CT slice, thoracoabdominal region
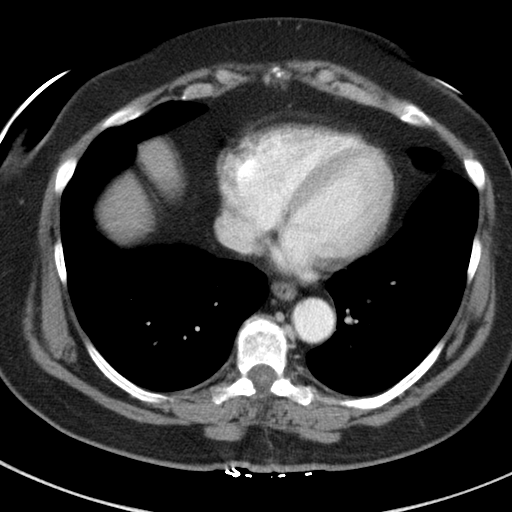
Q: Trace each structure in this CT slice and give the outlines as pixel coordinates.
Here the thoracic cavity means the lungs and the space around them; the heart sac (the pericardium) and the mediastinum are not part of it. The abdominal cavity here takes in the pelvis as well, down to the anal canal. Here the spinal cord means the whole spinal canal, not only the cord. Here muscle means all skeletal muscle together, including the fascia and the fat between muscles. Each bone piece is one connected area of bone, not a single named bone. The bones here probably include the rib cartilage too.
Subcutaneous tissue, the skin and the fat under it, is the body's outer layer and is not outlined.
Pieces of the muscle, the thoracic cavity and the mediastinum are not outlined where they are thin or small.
A: The bones appear in 11 outlined pieces: piece 1: [[254,315],[284,331],[291,346],[286,376],[341,399],[387,390],[442,338],[445,343],[421,377],[377,408],[319,399],[302,405],[278,396],[269,390],[276,373],[263,363],[248,372],[254,394],[216,404],[210,387],[239,376],[233,363],[235,339]]; piece 2: [[321,69],[329,69],[333,71],[338,79],[352,83],[368,92],[375,93],[386,102],[406,101],[415,104],[430,118],[433,123],[433,126],[430,128],[414,126],[401,120],[385,108],[358,103],[346,97],[319,89],[312,84],[312,81],[315,77],[315,74]]; piece 3: [[86,339],[88,339],[104,359],[117,372],[126,379],[143,389],[145,389],[148,391],[162,393],[171,396],[172,399],[171,400],[164,400],[157,403],[146,402],[133,397],[127,392],[117,386],[99,369],[90,357],[84,344],[84,340]]; piece 4: [[128,105],[139,105],[140,106],[144,106],[145,107],[147,107],[148,109],[145,112],[144,112],[141,115],[133,119],[131,119],[121,125],[118,125],[117,126],[111,126],[104,129],[100,132],[98,131],[101,124],[108,117],[109,117],[117,110]]; piece 5: [[71,156],[75,156],[77,157],[78,158],[78,160],[77,161],[76,166],[74,169],[74,171],[70,179],[68,181],[67,184],[62,191],[61,195],[59,195],[57,194],[54,190],[54,185],[55,184],[55,177],[56,176],[57,169],[59,165],[64,160]]; piece 6: [[464,157],[473,157],[474,158],[476,158],[478,159],[482,164],[483,168],[484,169],[484,175],[485,176],[485,183],[484,184],[484,187],[481,190],[477,189],[477,188],[469,179],[466,173],[466,171],[464,168],[464,166],[463,165],[463,158]]; piece 7: [[199,82],[209,82],[211,83],[214,87],[214,89],[215,90],[215,95],[212,95],[211,96],[205,96],[204,97],[197,97],[196,98],[193,98],[192,99],[180,99],[179,98],[182,90],[186,86],[190,84],[193,84],[194,83],[198,83]]; piece 8: [[476,233],[478,234],[479,238],[481,241],[481,244],[482,245],[481,255],[480,256],[479,262],[477,265],[476,270],[474,273],[474,275],[470,283],[469,284],[467,284],[466,283],[467,268],[469,264],[469,260],[471,255],[471,250],[472,249],[473,239]]; piece 9: [[58,237],[60,237],[61,240],[61,245],[62,246],[62,251],[63,252],[63,258],[65,264],[66,278],[67,279],[67,285],[66,286],[64,286],[60,280],[60,278],[57,272],[57,269],[55,264],[55,260],[54,259],[54,243]]; piece 10: [[220,69],[224,69],[225,70],[228,70],[229,71],[231,71],[235,73],[238,76],[240,76],[242,77],[243,78],[243,81],[242,82],[240,82],[235,86],[229,86],[226,84],[224,84],[223,83],[220,83],[215,78],[215,73],[216,71]]; piece 11: [[273,65],[279,65],[283,69],[284,69],[289,74],[289,77],[288,78],[286,78],[285,79],[282,79],[280,81],[278,81],[277,80],[276,81],[274,81],[271,79],[270,80],[268,85],[265,85],[263,82],[263,76],[268,71],[268,69]]. The pericardium is outlined by [[297,111],[336,118],[359,126],[394,160],[399,194],[390,229],[370,253],[319,284],[306,287],[291,277],[269,270],[257,260],[238,257],[220,244],[213,231],[213,220],[220,206],[216,162],[225,144],[240,131],[257,122],[280,113]]. The muscle appears in 4 outlined pieces: piece 1: [[115,110],[80,158],[71,155],[56,169],[60,236],[53,259],[88,337],[83,344],[89,357],[133,398],[171,401],[163,393],[197,386],[231,364],[238,376],[209,387],[216,405],[268,389],[302,406],[319,400],[373,410],[401,395],[439,357],[480,262],[476,231],[484,166],[496,205],[497,300],[482,348],[419,405],[332,443],[257,425],[227,441],[192,428],[138,422],[47,373],[30,357],[21,323],[44,191],[59,154]]; piece 2: [[295,58],[328,60],[346,66],[368,77],[395,96],[413,102],[406,100],[386,101],[375,92],[368,91],[352,82],[338,78],[336,73],[329,68],[321,68],[314,74],[311,81],[311,84],[314,86],[301,81],[292,81],[283,88],[278,86],[267,86],[271,80],[274,82],[280,82],[290,77],[290,74],[279,64],[273,64],[262,76],[263,84],[255,82],[240,83],[244,81],[242,76],[231,70],[220,68],[215,71],[214,78],[220,84],[233,87],[221,93],[216,94],[215,87],[211,82],[199,81],[186,85],[181,90],[178,98],[166,99],[149,109],[147,106],[139,104],[128,104],[117,109],[142,93],[169,82],[186,72],[204,66],[209,66],[220,62],[265,63]]; piece 3: [[426,113],[434,117],[453,132],[466,144],[471,147],[477,153],[477,155],[483,163],[483,165],[478,158],[473,156],[464,156],[462,158],[462,165],[462,163],[456,154],[446,142],[444,141],[435,131],[431,129],[431,128],[434,126],[434,123],[431,118]]; piece 4: [[289,355],[291,358],[291,360],[293,361],[295,365],[304,374],[308,375],[319,384],[334,392],[354,397],[341,398],[329,395],[322,395],[319,392],[318,389],[311,383],[304,383],[303,382],[295,383],[289,375],[286,375],[286,369],[289,364]]. The thoracic cavity appears in 3 outlined pieces: piece 1: [[170,99],[193,101],[206,109],[136,144],[131,163],[105,184],[92,206],[95,228],[121,250],[181,243],[216,258],[246,262],[265,275],[267,292],[238,328],[223,368],[197,385],[158,392],[117,371],[81,326],[67,286],[60,208],[78,161],[98,134]]; piece 2: [[462,166],[477,190],[477,225],[463,293],[441,338],[412,370],[376,394],[357,397],[343,394],[306,374],[306,354],[323,344],[337,329],[336,306],[326,288],[326,282],[337,272],[347,269],[383,246],[398,231],[410,206],[439,170],[447,169],[462,174]]; piece 3: [[412,148],[429,148],[432,150],[434,150],[438,152],[440,154],[441,156],[441,160],[439,164],[437,166],[433,168],[431,168],[430,169],[425,169],[424,168],[420,168],[414,164],[413,162],[413,160],[412,159],[412,157],[409,153],[409,150]]. The spinal cord is outlined by [[259,364],[263,364],[264,365],[267,365],[269,366],[274,371],[275,373],[275,378],[272,381],[269,387],[265,389],[257,389],[253,381],[249,377],[249,372],[250,370],[254,366],[256,365],[258,365]]. The torso is outlined by [[260,16],[333,20],[395,41],[421,63],[422,71],[459,91],[487,120],[511,163],[511,365],[473,420],[416,453],[333,471],[168,467],[63,433],[26,407],[0,379],[0,164],[15,134],[33,120],[24,140],[31,148],[86,80],[168,37],[212,23]]. The mediastinum is outlined by [[292,82],[430,129],[462,173],[439,169],[372,251],[393,224],[399,177],[359,125],[280,112],[224,144],[219,244],[302,287],[327,280],[336,329],[305,354],[305,373],[285,331],[251,315],[266,275],[182,243],[194,173],[169,131],[207,109],[190,100]]; inner edge: [[412,148],[429,148],[432,150],[434,150],[438,152],[440,154],[441,156],[441,160],[439,164],[437,166],[433,168],[431,168],[430,169],[425,169],[424,168],[420,168],[414,164],[413,162],[413,160],[412,159],[412,157],[409,153],[409,150]]. The abdominal cavity is outlined by [[165,132],[171,132],[173,137],[185,150],[193,173],[189,203],[179,218],[179,224],[177,226],[177,233],[181,242],[172,244],[158,243],[136,249],[121,249],[108,240],[96,228],[92,212],[93,206],[106,184],[132,163],[136,155],[137,144],[147,138]].